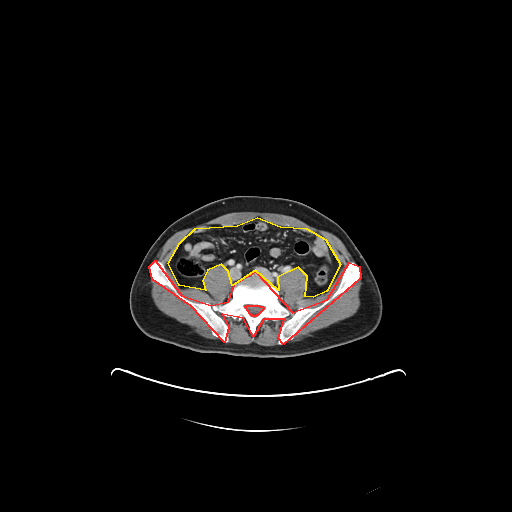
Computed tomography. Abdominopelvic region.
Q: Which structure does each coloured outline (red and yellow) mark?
A: red: bones; yellow: abdominal cavity.
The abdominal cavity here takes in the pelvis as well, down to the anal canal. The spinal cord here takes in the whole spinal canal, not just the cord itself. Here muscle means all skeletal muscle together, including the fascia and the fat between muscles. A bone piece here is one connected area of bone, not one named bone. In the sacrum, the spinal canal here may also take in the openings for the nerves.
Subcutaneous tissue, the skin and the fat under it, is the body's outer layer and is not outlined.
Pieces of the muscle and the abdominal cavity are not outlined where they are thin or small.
{"bones":[{"outer":[[155,260],[181,295],[211,305],[228,301],[235,283],[255,271],[292,312],[327,299],[349,262],[359,266],[360,278],[283,344],[278,338],[284,319],[263,319],[253,336],[243,318],[222,314],[228,327],[224,342],[191,306],[152,279],[149,266]],"hole":[[246,305],[258,305],[259,306],[262,306],[263,307],[263,309],[257,315],[256,315],[255,316],[253,316],[252,315],[251,315],[249,313],[249,312],[247,310],[247,309],[245,307],[245,306]]}],"abdominal_cavity":[[[257,217],[280,226],[306,228],[325,239],[340,264],[326,291],[313,297],[305,296],[307,276],[298,267],[277,277],[278,290],[255,270],[232,285],[228,271],[221,264],[207,270],[202,280],[205,290],[179,285],[168,263],[180,242],[195,228],[237,225]]],"torso":[[[239,195],[280,197],[304,203],[329,217],[348,234],[371,269],[382,296],[382,317],[379,325],[370,335],[350,343],[297,356],[248,357],[194,351],[151,338],[138,328],[130,313],[129,293],[134,276],[154,241],[171,223],[189,212],[209,202],[229,196]]],"spinal_cord":[[[246,305],[258,305],[259,306],[262,306],[263,307],[263,309],[257,315],[256,315],[255,316],[253,316],[252,315],[251,315],[249,313],[249,312],[247,310],[247,309],[245,307],[245,306]]],"muscle":[[[242,211],[288,215],[313,227],[328,231],[341,240],[354,260],[346,264],[336,289],[321,303],[313,307],[299,306],[296,310],[292,311],[279,300],[281,295],[277,280],[280,275],[289,272],[292,268],[298,268],[306,276],[307,285],[304,290],[304,296],[313,298],[329,289],[341,268],[341,264],[335,257],[330,245],[320,233],[306,227],[272,223],[259,216],[237,224],[202,224],[195,227],[179,242],[167,266],[181,288],[196,287],[205,291],[203,280],[208,270],[221,265],[227,271],[227,276],[232,286],[231,297],[220,304],[211,304],[208,301],[196,302],[190,300],[181,294],[171,282],[165,265],[158,259],[154,260],[157,253],[165,242],[177,231],[194,227],[227,213]],[[361,272],[361,280],[362,283],[359,291],[360,306],[358,310],[353,315],[321,331],[312,334],[310,336],[305,337],[299,341],[287,342],[292,340],[295,337],[296,333],[302,325],[314,313],[323,308],[340,294],[349,290],[358,282],[361,278]],[[150,277],[153,281],[162,286],[165,286],[170,289],[180,300],[183,301],[191,307],[204,320],[208,326],[211,334],[216,338],[219,339],[210,339],[209,338],[203,337],[194,331],[181,325],[176,321],[165,315],[164,313],[159,310],[155,305],[151,297]],[[221,315],[225,317],[230,317],[238,321],[243,319],[248,325],[249,332],[253,337],[257,333],[256,330],[257,326],[263,320],[265,321],[271,320],[274,322],[284,320],[278,330],[277,345],[264,346],[256,343],[249,344],[229,343],[228,342],[229,327]]]}